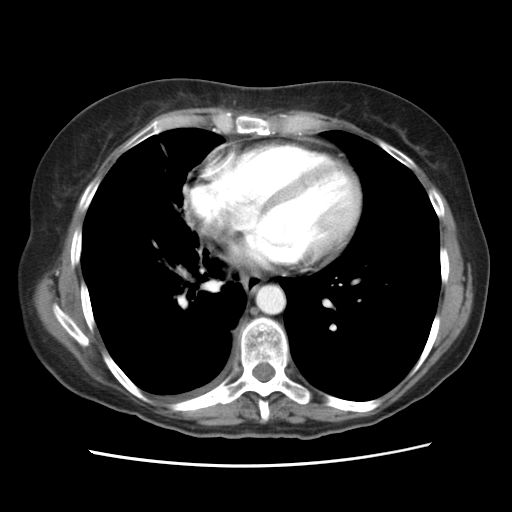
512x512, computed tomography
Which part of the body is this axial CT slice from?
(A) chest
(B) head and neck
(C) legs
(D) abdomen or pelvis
(A) chest
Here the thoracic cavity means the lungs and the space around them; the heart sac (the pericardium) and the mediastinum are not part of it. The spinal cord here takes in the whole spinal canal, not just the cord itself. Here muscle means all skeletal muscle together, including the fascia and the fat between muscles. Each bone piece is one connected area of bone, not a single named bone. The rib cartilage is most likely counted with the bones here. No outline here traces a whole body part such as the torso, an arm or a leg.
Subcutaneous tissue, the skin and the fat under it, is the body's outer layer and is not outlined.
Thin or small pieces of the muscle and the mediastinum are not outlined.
{"thoracic_cavity":[[[176,128],[210,129],[224,140],[189,174],[183,188],[183,218],[209,256],[225,265],[227,278],[238,282],[246,296],[238,322],[238,359],[218,384],[181,400],[160,398],[142,390],[113,359],[96,324],[80,263],[86,212],[110,168],[122,154],[144,140]],[[327,130],[357,135],[410,169],[424,188],[438,219],[440,287],[427,338],[408,373],[391,389],[368,400],[345,399],[311,385],[292,363],[284,324],[288,300],[279,278],[309,276],[337,258],[352,239],[363,210],[360,178],[343,149],[321,135],[322,131]]],"pericardium":[[[249,138],[310,138],[321,140],[339,148],[355,170],[362,190],[362,210],[358,223],[351,239],[343,251],[319,270],[312,273],[294,275],[270,275],[245,271],[237,266],[231,265],[210,251],[207,244],[186,219],[184,213],[184,188],[194,168],[216,148]]],"spinal_cord":[[[260,363],[267,363],[268,364],[269,364],[273,368],[273,369],[274,370],[274,374],[268,380],[267,380],[266,381],[261,381],[260,380],[259,380],[256,377],[255,377],[254,376],[254,375],[253,374],[253,369],[258,364],[259,364]]],"bones":[{"outer":[[258,317],[284,328],[290,376],[300,375],[338,398],[381,403],[348,411],[326,405],[322,394],[312,393],[301,404],[273,391],[265,398],[269,418],[264,421],[260,396],[248,390],[228,403],[172,410],[169,404],[201,395],[228,375],[240,357],[240,330]],"hole":[[260,363],[267,363],[268,364],[269,364],[273,368],[273,369],[274,370],[274,374],[268,380],[267,380],[266,381],[261,381],[260,380],[259,380],[256,377],[255,377],[254,376],[254,375],[253,374],[253,369],[258,364],[259,364]]},[[219,112],[230,112],[233,117],[249,115],[262,119],[270,119],[281,113],[304,114],[323,120],[325,125],[321,131],[304,129],[271,135],[230,133],[211,127],[208,120],[202,127],[166,129],[119,154],[130,139],[156,119],[183,114],[203,115],[209,118]],[[103,350],[106,350],[108,352],[112,359],[122,370],[122,371],[131,380],[131,381],[141,390],[142,393],[151,401],[150,403],[143,401],[138,397],[135,396],[127,389],[126,389],[117,380],[117,379],[112,374],[112,373],[106,365],[102,357],[102,351]],[[54,303],[56,303],[59,306],[59,307],[74,321],[74,322],[81,330],[81,331],[87,337],[88,341],[89,342],[87,346],[82,346],[79,344],[77,341],[73,337],[72,337],[60,324],[54,315],[54,313],[52,309],[52,306]],[[436,313],[438,313],[440,321],[439,322],[438,332],[435,338],[435,340],[432,345],[432,347],[428,355],[420,367],[411,376],[407,377],[407,375],[417,362],[424,348],[424,346],[429,335],[429,332],[432,325],[432,322],[434,319],[434,317]],[[82,280],[84,280],[88,290],[89,299],[91,304],[91,309],[92,310],[93,317],[94,318],[95,324],[96,325],[92,332],[91,332],[88,327],[88,325],[86,322],[86,320],[83,314],[83,310],[81,305],[80,285]],[[378,140],[382,140],[386,143],[393,146],[398,150],[401,151],[404,154],[409,157],[415,163],[416,165],[416,168],[411,169],[401,162],[400,162],[397,159],[396,159],[393,156],[392,156],[389,153],[388,153],[385,150],[380,147],[377,144],[377,141]],[[96,177],[100,177],[101,178],[101,180],[91,199],[91,201],[90,202],[86,211],[85,212],[81,212],[78,209],[78,206],[79,205],[79,202],[80,201],[81,196],[82,195],[85,188],[90,182],[90,181],[91,181],[94,178],[95,178]],[[78,226],[81,226],[82,227],[82,233],[81,234],[81,251],[80,252],[80,260],[79,261],[79,263],[77,264],[73,268],[72,268],[71,266],[71,259],[70,258],[71,243],[72,242],[72,238],[73,237],[73,234],[74,233],[74,231],[75,229]],[[430,188],[434,188],[436,190],[436,191],[438,193],[442,201],[442,203],[443,204],[443,208],[444,209],[444,215],[442,218],[438,218],[436,214],[436,212],[430,201],[430,199],[427,193],[427,191]],[[440,246],[443,246],[446,249],[446,250],[447,251],[447,254],[448,255],[448,259],[449,260],[449,272],[448,273],[448,275],[447,276],[447,281],[446,282],[446,283],[445,283],[444,284],[443,284],[442,283],[441,283],[441,268],[440,267]]],"mediastinum":[[[220,259],[233,267],[254,274],[270,276],[311,274],[303,276],[280,276],[278,278],[278,282],[287,300],[283,314],[284,327],[275,319],[266,316],[258,316],[251,319],[240,329],[239,322],[246,306],[247,296],[242,285],[238,281],[228,278],[226,265]],[[211,128],[215,128],[223,133],[256,134],[258,136],[271,136],[276,134],[310,130],[312,132],[320,132],[319,133],[321,136],[331,140],[339,147],[327,141],[310,137],[249,137],[243,140],[221,145],[225,141],[224,138],[220,134],[213,131]]],"muscle":[{"outer":[[416,163],[440,190],[452,213],[462,257],[471,267],[472,307],[465,326],[447,350],[403,395],[375,414],[335,422],[295,424],[276,420],[213,426],[168,417],[135,403],[119,391],[91,377],[72,354],[43,327],[37,315],[32,301],[35,286],[38,279],[56,265],[80,196],[77,209],[85,215],[82,226],[78,225],[73,231],[69,258],[72,269],[79,264],[81,268],[83,279],[80,281],[79,294],[82,314],[91,333],[97,327],[106,348],[101,351],[105,365],[116,380],[135,397],[150,404],[152,401],[143,391],[160,399],[177,401],[167,405],[176,412],[228,404],[250,391],[259,396],[257,405],[260,418],[264,422],[270,418],[269,401],[266,398],[273,392],[280,392],[301,405],[307,404],[313,394],[322,395],[325,399],[324,404],[328,407],[348,412],[371,411],[382,403],[381,396],[406,376],[411,377],[421,367],[440,328],[441,319],[436,312],[440,288],[441,284],[447,283],[450,272],[448,251],[440,245],[439,233],[439,219],[444,217],[445,209],[437,190],[430,187],[426,191],[412,170],[417,168]],"hole":[[54,303],[56,303],[59,306],[59,307],[74,321],[74,322],[81,330],[81,331],[87,337],[88,341],[89,342],[87,346],[82,346],[79,344],[77,341],[73,337],[72,337],[60,324],[54,315],[54,313],[52,309],[52,306]]},[[214,106],[221,106],[236,110],[254,110],[257,112],[262,112],[267,109],[278,108],[285,110],[298,109],[306,111],[314,111],[351,122],[365,131],[381,139],[378,139],[376,141],[376,144],[357,134],[345,130],[341,129],[323,130],[322,129],[326,125],[326,122],[323,119],[304,113],[288,114],[281,112],[276,115],[273,115],[270,118],[262,118],[249,114],[238,114],[233,116],[233,114],[230,111],[219,111],[213,113],[209,117],[203,114],[196,113],[172,114],[156,118],[142,128],[130,138],[119,150],[118,154],[119,155],[121,154],[121,155],[109,168],[102,179],[100,176],[96,176],[90,180],[94,174],[94,170],[116,147],[131,137],[156,116],[177,109],[213,107]]]}